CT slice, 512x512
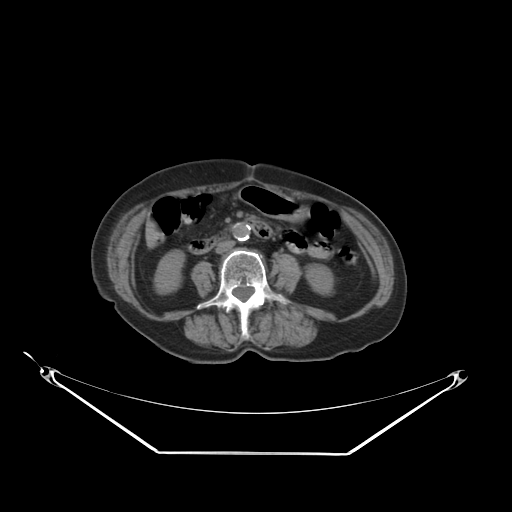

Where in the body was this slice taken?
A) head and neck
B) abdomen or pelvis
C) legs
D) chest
Answer: B) abdomen or pelvis
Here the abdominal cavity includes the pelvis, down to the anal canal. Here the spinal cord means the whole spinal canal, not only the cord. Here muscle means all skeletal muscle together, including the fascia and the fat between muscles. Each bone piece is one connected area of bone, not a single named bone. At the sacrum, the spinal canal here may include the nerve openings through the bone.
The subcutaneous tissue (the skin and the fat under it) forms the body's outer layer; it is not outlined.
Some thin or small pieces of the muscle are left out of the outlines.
{"abdominal_cavity":[[[248,181],[337,209],[378,281],[373,295],[344,315],[296,301],[290,295],[303,273],[293,255],[278,253],[267,272],[256,251],[234,247],[218,276],[205,259],[191,268],[200,299],[195,306],[160,314],[150,309],[134,273],[150,206],[160,196],[183,199]]],"muscle":[{"outer":[[246,176],[253,176],[267,183],[319,195],[339,205],[351,207],[362,213],[384,236],[392,254],[394,282],[389,299],[381,307],[374,307],[367,313],[344,323],[322,322],[316,337],[301,348],[267,351],[249,341],[244,341],[237,349],[230,352],[218,351],[199,346],[189,340],[175,323],[165,323],[149,319],[123,300],[112,287],[106,265],[106,253],[109,238],[121,216],[136,204],[149,200],[164,192],[198,185],[237,181]],"hole":[[248,181],[337,209],[378,281],[373,295],[344,315],[296,301],[290,295],[302,269],[293,255],[278,253],[266,278],[290,302],[266,300],[252,309],[247,339],[236,308],[194,306],[160,314],[150,309],[137,291],[134,273],[150,206],[160,196],[183,199]]},[[202,260],[205,260],[209,262],[215,274],[218,277],[219,279],[219,285],[218,286],[218,289],[215,293],[215,294],[210,298],[206,300],[204,300],[203,301],[201,301],[200,296],[190,276],[190,273],[191,272],[191,270],[194,266],[194,265]]],"bones":[{"outer":[[234,248],[256,252],[263,262],[271,289],[290,301],[283,304],[275,300],[266,300],[258,308],[252,309],[248,316],[249,337],[247,339],[241,335],[240,313],[236,308],[226,312],[215,305],[200,309],[196,307],[197,304],[213,297],[218,291],[222,260]],"hole":[[243,286],[244,286],[245,287],[251,287],[253,289],[253,292],[249,296],[249,297],[246,300],[245,300],[244,301],[243,301],[242,300],[241,300],[240,299],[239,299],[236,296],[235,296],[233,294],[233,290],[234,289],[235,289],[238,287],[242,287]]}],"torso":[[[214,157],[289,167],[333,185],[369,207],[390,230],[405,261],[408,291],[396,328],[360,351],[327,360],[274,361],[247,351],[229,363],[196,364],[164,352],[128,325],[112,303],[98,295],[92,281],[90,246],[101,218],[123,191],[150,173],[185,161]]],"spinal_cord":[[[243,286],[244,286],[245,287],[251,287],[253,289],[253,292],[249,296],[249,297],[246,300],[245,300],[244,301],[243,301],[242,300],[241,300],[240,299],[239,299],[236,296],[235,296],[233,294],[233,290],[234,289],[235,289],[238,287],[242,287]]]}